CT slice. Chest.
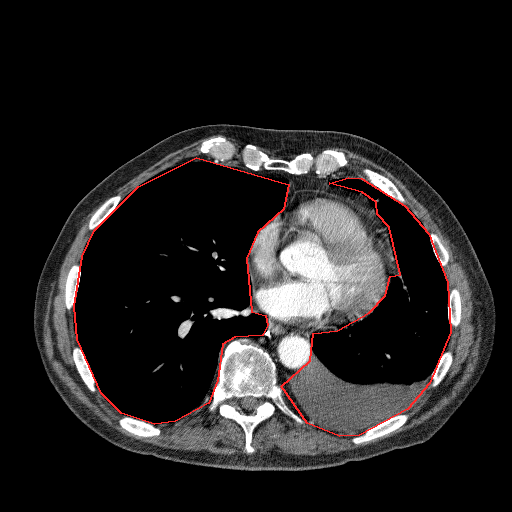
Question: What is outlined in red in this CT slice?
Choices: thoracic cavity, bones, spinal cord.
Answer: red: thoracic cavity.
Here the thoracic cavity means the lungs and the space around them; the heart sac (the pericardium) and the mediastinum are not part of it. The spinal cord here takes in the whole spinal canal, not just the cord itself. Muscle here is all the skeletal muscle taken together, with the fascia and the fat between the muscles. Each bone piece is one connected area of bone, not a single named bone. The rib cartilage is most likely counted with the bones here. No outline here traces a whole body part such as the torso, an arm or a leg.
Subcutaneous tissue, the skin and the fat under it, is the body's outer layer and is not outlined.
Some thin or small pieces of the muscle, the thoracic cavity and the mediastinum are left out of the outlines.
{"thoracic_cavity":[[[196,157],[288,184],[283,209],[257,232],[246,258],[251,311],[265,315],[267,325],[262,335],[234,337],[222,344],[217,380],[208,403],[175,421],[154,424],[121,413],[101,393],[77,339],[74,306],[82,256],[94,230],[138,186]],[[348,177],[361,178],[404,205],[428,233],[447,282],[450,332],[429,383],[407,409],[359,435],[339,436],[307,423],[281,386],[310,360],[313,333],[337,330],[369,312],[385,295],[390,276],[400,274],[389,227],[377,214],[376,202],[362,192],[329,183]]],"pericardium":[[[304,190],[317,190],[335,194],[342,198],[347,198],[371,211],[380,224],[385,228],[392,250],[393,264],[385,293],[369,311],[335,326],[300,326],[276,321],[259,310],[252,295],[252,284],[247,267],[247,259],[252,242],[262,228],[287,209],[294,194]]],"bones":[{"outer":[[233,339],[256,345],[269,354],[275,364],[277,384],[286,402],[304,421],[303,424],[297,423],[276,408],[270,417],[254,428],[251,438],[254,451],[251,453],[244,449],[242,427],[235,420],[221,416],[217,408],[208,410],[212,390],[218,380],[222,346]],"hole":[[246,396],[252,396],[253,397],[254,397],[255,398],[256,398],[258,400],[258,404],[254,408],[254,409],[253,409],[252,410],[246,410],[245,409],[244,409],[240,405],[240,404],[239,403],[239,400],[241,398],[242,398],[243,397],[245,397]]},[[246,144],[255,145],[271,158],[286,160],[290,160],[296,155],[306,152],[316,155],[325,149],[333,149],[342,151],[348,162],[334,173],[324,176],[319,176],[312,171],[305,174],[295,174],[283,170],[261,169],[256,171],[245,167],[243,164],[241,150]],[[218,135],[224,136],[228,140],[229,140],[232,143],[233,143],[237,150],[233,157],[228,161],[225,161],[224,162],[219,162],[215,158],[213,158],[209,154],[204,154],[199,150],[199,146],[201,142],[203,140],[205,139],[208,139],[211,137],[214,137]],[[403,413],[408,414],[409,416],[408,417],[408,419],[405,423],[396,429],[382,436],[374,438],[368,441],[362,442],[359,444],[356,444],[352,442],[351,440],[353,437],[359,436],[368,428],[374,425],[376,425],[387,419],[389,419],[398,414],[402,414]],[[364,168],[370,168],[375,171],[379,172],[381,174],[384,175],[390,179],[403,195],[405,199],[405,203],[404,204],[401,203],[396,199],[387,195],[381,189],[375,185],[372,184],[367,180],[363,179],[360,176],[360,175],[362,174],[362,170]],[[124,415],[125,416],[129,416],[130,417],[132,417],[138,420],[143,420],[146,422],[149,422],[156,426],[159,426],[160,428],[160,433],[158,435],[154,435],[153,436],[140,436],[139,435],[134,434],[126,430],[119,424],[118,422],[118,420],[122,416]],[[78,345],[80,347],[94,376],[94,378],[95,379],[95,384],[96,385],[96,388],[97,389],[95,392],[92,392],[87,387],[81,378],[76,368],[76,365],[74,362],[74,359],[73,358],[72,350],[75,346],[77,346]],[[74,264],[79,264],[80,265],[80,276],[79,277],[79,284],[77,289],[77,294],[76,295],[75,302],[73,307],[69,310],[67,309],[66,307],[66,304],[65,303],[65,285],[66,284],[66,279],[67,278],[68,272],[71,266]],[[117,194],[120,194],[123,196],[122,199],[117,204],[117,205],[107,216],[107,217],[101,223],[100,223],[99,225],[98,225],[93,230],[90,230],[88,228],[88,225],[89,224],[89,221],[92,217],[93,214],[106,200],[107,200],[110,197],[114,196]],[[453,288],[456,288],[459,291],[459,294],[460,295],[460,299],[461,300],[461,315],[460,316],[460,320],[459,321],[459,323],[457,325],[457,326],[456,327],[451,327],[451,326],[450,325],[450,323],[448,320],[448,294],[449,293],[449,292]],[[447,350],[449,350],[451,351],[452,353],[452,361],[450,364],[450,366],[448,370],[446,372],[444,377],[441,380],[441,381],[436,386],[434,387],[430,387],[429,385],[431,382],[431,377],[430,375],[435,368],[438,361],[440,359],[443,353]],[[431,232],[435,233],[438,236],[442,244],[447,250],[447,252],[448,253],[448,261],[447,262],[446,266],[443,268],[442,266],[438,262],[436,258],[436,256],[433,251],[433,248],[432,247],[432,245],[430,241],[430,237],[429,236],[429,234]]],"mediastinum":[[[267,316],[271,320],[282,324],[313,328],[335,327],[359,317],[334,330],[313,332],[309,336],[312,349],[309,360],[298,366],[280,385],[277,378],[276,364],[270,354],[256,344],[247,343],[243,341],[243,339],[234,338],[256,338],[262,336],[267,329]],[[222,163],[256,172],[283,171],[324,177],[343,170],[359,176],[332,178],[328,183],[362,193],[375,202],[376,214],[388,227],[388,238],[386,228],[371,210],[347,197],[327,191],[296,191],[286,209],[280,213],[284,209],[289,187],[285,179],[251,175]],[[252,296],[252,298],[253,299],[253,301],[254,302],[254,303],[255,304],[255,305],[256,306],[256,307],[260,312],[261,312],[262,313],[263,313],[261,313],[260,312],[254,312],[253,311],[252,311],[252,307],[251,306],[251,303],[252,302]]],"muscle":[[[332,147],[365,157],[398,178],[431,214],[466,274],[472,315],[480,318],[481,339],[473,373],[450,403],[418,425],[351,450],[316,455],[275,451],[220,454],[166,448],[132,438],[109,426],[72,395],[47,358],[43,322],[49,286],[58,279],[63,260],[86,217],[99,206],[88,221],[87,228],[93,231],[80,264],[72,264],[67,272],[64,303],[67,310],[73,308],[78,343],[71,350],[75,368],[92,393],[98,389],[123,415],[117,420],[123,429],[140,437],[158,436],[161,428],[156,425],[175,422],[208,404],[209,412],[217,409],[221,417],[241,427],[243,449],[251,454],[255,451],[252,445],[255,428],[276,409],[297,424],[305,422],[319,431],[352,437],[350,440],[356,445],[382,437],[405,424],[410,416],[404,412],[428,385],[436,387],[451,366],[453,353],[446,348],[451,328],[456,328],[461,320],[460,291],[453,287],[448,293],[444,271],[449,261],[448,250],[439,236],[433,231],[429,233],[405,205],[406,199],[395,183],[370,167],[364,167],[359,175],[340,169],[349,161],[342,150],[326,148]],[[207,137],[210,137],[205,138],[200,142],[198,146],[198,150],[202,154],[209,155],[212,158],[205,156],[196,156],[193,159],[188,159],[182,161],[172,165],[150,177],[124,196],[120,193],[113,195],[118,188],[157,162],[167,154],[189,145],[200,139]],[[226,137],[233,138],[237,140],[239,142],[241,142],[243,144],[245,144],[240,150],[241,161],[242,162],[243,166],[241,166],[240,165],[234,165],[233,164],[230,164],[227,162],[225,162],[228,162],[230,161],[234,157],[234,156],[238,151],[235,144]],[[257,146],[259,146],[260,147],[263,147],[264,148],[266,148],[267,149],[272,151],[273,152],[273,153],[277,157],[281,157],[282,158],[284,158],[280,158],[279,157],[271,157],[267,153],[266,153],[264,151],[263,151],[261,149],[260,149]]],"spinal_cord":[[[246,396],[252,396],[253,397],[254,397],[255,398],[256,398],[258,400],[258,404],[254,408],[254,409],[253,409],[252,410],[246,410],[245,409],[244,409],[240,405],[240,404],[239,403],[239,400],[241,398],[242,398],[243,397],[245,397]]]}